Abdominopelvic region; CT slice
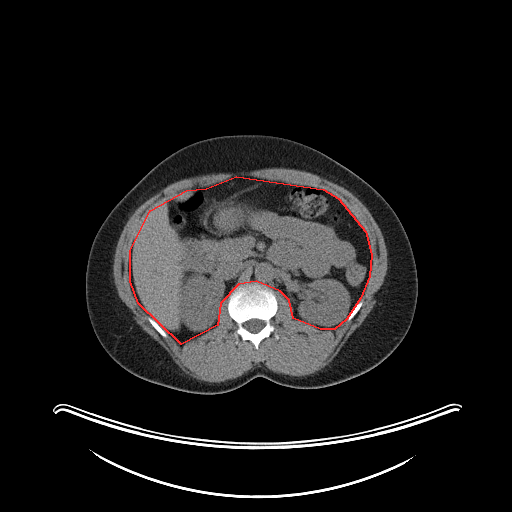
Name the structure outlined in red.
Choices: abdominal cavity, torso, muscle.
red: abdominal cavity.
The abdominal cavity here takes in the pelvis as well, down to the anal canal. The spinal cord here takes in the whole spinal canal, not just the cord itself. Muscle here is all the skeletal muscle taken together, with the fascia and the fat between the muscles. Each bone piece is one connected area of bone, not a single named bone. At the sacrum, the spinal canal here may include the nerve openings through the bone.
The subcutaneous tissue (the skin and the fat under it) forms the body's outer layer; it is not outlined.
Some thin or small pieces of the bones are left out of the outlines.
{"abdominal_cavity":[[[236,176],[323,189],[338,198],[365,231],[371,254],[369,276],[360,298],[346,319],[334,329],[320,329],[293,318],[289,300],[280,291],[256,281],[238,284],[220,303],[217,325],[181,344],[138,303],[130,281],[130,250],[150,210],[186,190],[206,188]]],"muscle":[{"outer":[[276,167],[302,170],[327,179],[351,192],[368,209],[383,235],[388,259],[383,283],[375,296],[376,303],[329,364],[315,373],[291,376],[263,365],[221,382],[198,380],[185,373],[136,323],[120,298],[113,277],[119,236],[133,212],[173,182],[202,174]],"hole":[[236,176],[323,189],[355,217],[369,240],[371,267],[362,305],[350,321],[320,329],[295,319],[291,303],[276,290],[270,319],[275,330],[257,349],[234,333],[228,296],[219,305],[217,325],[181,344],[152,326],[129,274],[132,242],[146,216],[177,194]]}],"bones":[{"outer":[[252,282],[256,282],[271,289],[274,292],[277,300],[277,310],[270,319],[270,323],[275,328],[275,330],[269,336],[260,341],[257,349],[249,340],[243,340],[239,335],[234,333],[238,326],[229,315],[227,309],[229,296],[232,291],[238,285],[244,285]],"hole":[[251,319],[258,319],[259,320],[262,320],[264,322],[264,326],[259,331],[258,331],[255,333],[253,333],[252,332],[251,332],[250,331],[249,331],[248,330],[247,330],[244,327],[244,326],[243,325],[243,324],[245,322],[246,322],[247,321],[248,321]]},[[148,317],[150,317],[153,320],[154,320],[157,323],[157,324],[163,330],[164,330],[166,332],[166,333],[167,334],[167,337],[166,338],[164,338],[152,326],[152,325],[149,322],[149,321],[148,320]],[[361,298],[363,301],[363,302],[362,303],[362,305],[358,310],[357,313],[352,318],[352,319],[350,321],[347,321],[347,318],[348,317],[348,316],[350,314],[350,313],[351,312],[352,309],[354,307],[354,306],[358,302],[358,301]]],"spinal_cord":[[[251,319],[258,319],[259,320],[262,320],[264,322],[264,326],[259,331],[258,331],[255,333],[253,333],[252,332],[251,332],[250,331],[249,331],[248,330],[247,330],[244,327],[244,326],[243,325],[243,324],[245,322],[246,322],[247,321],[248,321]]],"torso":[[[233,134],[273,135],[310,146],[365,180],[396,213],[415,260],[417,302],[402,341],[372,369],[343,382],[315,389],[287,387],[256,377],[228,392],[196,394],[162,386],[128,372],[98,341],[86,307],[85,271],[100,225],[118,201],[164,158],[190,143]]]}